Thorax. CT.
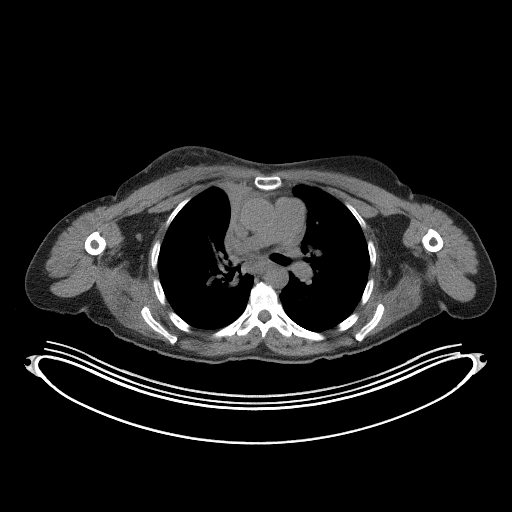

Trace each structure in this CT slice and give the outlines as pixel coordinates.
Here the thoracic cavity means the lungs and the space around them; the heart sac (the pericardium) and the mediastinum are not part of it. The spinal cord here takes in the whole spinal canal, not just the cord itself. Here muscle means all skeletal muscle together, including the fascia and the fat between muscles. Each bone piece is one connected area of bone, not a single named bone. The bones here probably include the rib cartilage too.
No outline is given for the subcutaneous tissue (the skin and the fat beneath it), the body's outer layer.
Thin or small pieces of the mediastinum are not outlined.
The muscle is outlined by 201 164; 237 165; 264 174; 290 169; 339 172; 409 202; 430 204; 472 242; 478 260; 476 294; 460 302; 436 282; 423 285; 421 303; 375 334; 366 336; 385 311; 379 302; 353 335; 355 344; 301 356; 276 354; 263 343; 248 351; 202 355; 174 345; 178 337; 145 304; 140 315; 169 344; 120 323; 94 285; 73 297; 56 296; 49 291; 45 263; 58 236; 77 217; 115 204; 160 177, around holes outlined by 257 176; 317 186; 349 203; 365 221; 364 238; 376 251; 367 274; 374 284; 367 301; 355 306; 358 318; 347 329; 338 331; 336 325; 325 329; 320 332; 325 339; 318 341; 287 337; 274 327; 262 337; 256 326; 245 335; 214 338; 212 329; 179 329; 168 316; 173 309; 168 301; 163 305; 156 296; 153 279; 159 273; 151 266; 151 249; 156 240; 163 241; 174 208; 211 186; 252 184 and by 143 215; 159 216; 159 220; 153 232; 151 234; 148 243; 147 257; 146 258; 146 266; 144 272; 140 267; 134 263; 131 258; 130 252; 127 247; 127 242; 128 240; 126 234; 122 229; 122 226; 121 225; 123 222; 127 222; 134 220 and by 373 220; 401 220; 406 223; 406 227; 401 235; 401 242; 404 246; 405 256; 400 257; 395 262; 393 265; 393 267; 390 269; 388 268; 385 260; 385 255; 384 254; 384 251; 380 238; 380 234; 378 231; 378 230; 380 229; 372 222 and by 94 231; 98 231; 99 232; 100 235; 105 239; 105 248; 102 252; 101 252; 96 255; 92 255; 91 254; 88 253; 85 250; 85 248; 84 247; 84 243; 85 242; 85 240; 86 239; 87 236; 88 236; 92 232; 93 232 and by 429 228; 432 228; 436 231; 437 231; 438 232; 438 233; 441 236; 441 237; 443 240; 443 245; 442 246; 442 247; 439 250; 438 250; 435 252; 431 252; 430 251; 428 251; 424 247; 424 246; 422 243; 422 237; 427 232; 427 231. The mediastinum is outlined by 250 183; 265 191; 296 184; 291 189; 293 195; 269 191; 245 199; 239 206; 231 231; 232 235; 244 249; 264 254; 295 243; 299 239; 304 232; 305 221; 305 232; 300 242; 301 264; 288 274; 288 281; 278 295; 270 284; 254 284; 251 274; 242 273; 231 247; 230 228; 234 207. The spinal cord is outlined by 263 310; 266 310; 269 313; 269 314; 270 315; 270 317; 269 318; 269 319; 268 319; 267 320; 266 320; 265 321; 263 321; 262 320; 261 320; 260 319; 259 319; 259 318; 258 317; 258 315; 259 314; 259 313; 261 311; 262 311. The right arm is outlined by 117 189; 118 215; 115 235; 110 248; 109 272; 102 294; 98 301; 87 312; 74 315; 61 314; 52 311; 42 310; 34 306; 29 301; 25 293; 24 276; 26 269; 35 251; 46 234; 61 218; 78 206; 101 196; 108 194; 114 194. The left arm is outlined by 412 191; 431 196; 451 206; 461 213; 472 224; 478 233; 490 257; 496 275; 496 292; 494 300; 490 308; 482 315; 471 319; 454 318; 451 317; 445 311; 441 312; 441 310; 433 300; 428 286; 418 268; 414 252; 410 242; 408 213. The torso is outlined by 188 144; 207 146; 264 163; 364 154; 387 164; 411 190; 407 213; 409 242; 417 268; 441 313; 369 349; 303 364; 257 359; 219 364; 184 360; 118 338; 106 327; 94 323; 85 314; 99 301; 109 277; 119 215; 118 187; 163 152. The bones appear in 14 outlined pieces: piece 1: 258 282; 263 282; 272 287; 284 311; 294 322; 310 331; 322 333; 325 339; 317 341; 294 334; 287 337; 274 327; 269 328; 265 336; 262 337; 260 329; 256 326; 245 335; 212 337; 213 332; 232 323; 241 315; 249 300; 252 287, around a hole outlined by 263 310; 266 310; 269 313; 269 314; 270 315; 270 317; 269 318; 269 319; 268 319; 267 320; 266 320; 265 321; 263 321; 262 320; 261 320; 260 319; 259 319; 259 318; 258 317; 258 315; 259 314; 259 313; 261 311; 262 311; piece 2: 145 305; 148 307; 151 313; 151 315; 153 317; 153 318; 156 321; 157 321; 169 333; 173 335; 175 335; 177 337; 177 340; 174 344; 171 344; 165 337; 164 337; 161 334; 153 330; 144 320; 143 317; 141 315; 140 311; 142 307; piece 3: 94 231; 98 231; 99 232; 100 235; 105 239; 105 248; 102 252; 101 252; 96 255; 92 255; 91 254; 88 253; 85 250; 85 248; 84 247; 84 243; 85 242; 85 240; 86 239; 87 236; 88 236; 92 232; 93 232; piece 4: 379 303; 381 303; 384 306; 384 311; 381 316; 381 318; 380 319; 380 320; 378 322; 378 323; 365 336; 365 337; 361 341; 358 341; 354 337; 354 335; 366 323; 367 323; 372 318; 372 317; 374 314; 374 312; 377 307; 377 305; piece 5: 429 228; 432 228; 436 231; 437 231; 438 232; 438 233; 441 236; 441 237; 443 240; 443 245; 442 246; 442 247; 439 250; 438 250; 435 252; 431 252; 430 251; 428 251; 424 247; 424 246; 422 243; 422 237; 427 232; 427 231; piece 6: 257 176; 278 176; 281 179; 281 180; 282 181; 282 183; 283 184; 281 186; 280 186; 277 188; 275 188; 274 189; 270 189; 269 190; 265 190; 264 189; 261 189; 260 188; 258 188; 257 187; 256 187; 253 183; 255 177; 256 177; piece 7: 171 310; 172 310; 176 314; 177 314; 184 321; 185 321; 188 324; 189 324; 191 326; 191 331; 190 332; 185 332; 184 331; 183 331; 182 330; 181 330; 180 329; 179 329; 171 321; 171 320; 169 318; 169 317; 168 316; 168 312; piece 8: 353 312; 357 312; 358 313; 358 318; 357 319; 357 320; 350 327; 349 327; 347 329; 346 329; 345 330; 344 330; 343 331; 338 331; 338 330; 337 329; 337 325; 340 322; 341 322; 344 319; 345 319; 348 316; 349 316; piece 9: 156 240; 159 240; 161 242; 161 243; 160 244; 160 248; 159 249; 159 253; 158 254; 158 257; 157 258; 157 267; 156 268; 156 269; 155 270; 154 270; 152 268; 152 267; 151 266; 151 249; 152 248; 152 246; 153 245; 154 242; piece 10: 155 277; 159 279; 160 284; 162 287; 163 292; 166 298; 166 303; 164 305; 163 305; 159 301; 158 298; 156 296; 156 294; 155 293; 155 291; 153 287; 153 279; piece 11: 187 197; 190 197; 191 198; 189 200; 189 201; 188 201; 181 208; 181 209; 173 218; 173 219; 169 224; 168 227; 167 228; 166 228; 165 227; 165 223; 166 222; 166 220; 169 216; 170 213; 174 209; 174 208; 182 200; 183 200; piece 12: 369 278; 373 278; 373 279; 374 280; 374 284; 373 285; 373 288; 372 289; 372 291; 371 292; 371 293; 370 294; 367 301; 364 304; 363 304; 362 305; 360 303; 360 300; 361 299; 361 297; 362 296; 363 291; 365 288; 366 283; piece 13: 346 202; 349 203; 357 211; 357 212; 363 218; 363 219; 365 221; 365 223; 366 224; 366 227; 364 229; 362 229; 362 228; 360 226; 360 225; 359 224; 358 221; 356 219; 356 218; 353 215; 353 214; 349 210; 349 209; 344 204; piece 14: 368 240; 371 240; 373 242; 373 244; 374 245; 374 247; 375 248; 375 250; 376 251; 376 255; 375 256; 375 264; 374 265; 374 266; 371 266; 370 265; 370 260; 369 259; 369 253; 368 252; 368 248; 367 247; 367 241. The pericardium is outlined by 269 192; 280 192; 289 194; 303 202; 305 205; 305 209; 306 210; 303 232; 295 242; 284 247; 276 248; 264 253; 263 252; 249 251; 244 248; 233 235; 232 231; 237 217; 237 214; 239 211; 240 206; 245 200; 256 195; 264 194. The thoracic cavity appears in 2 outlined pieces: piece 1: 228 182; 249 183; 247 189; 234 204; 229 228; 229 243; 236 262; 240 265; 241 273; 251 275; 253 284; 243 311; 232 322; 216 330; 193 327; 173 310; 167 300; 158 272; 158 258; 161 244; 174 218; 192 198; 211 186; 222 186; piece 2: 300 183; 319 187; 348 209; 362 230; 368 253; 367 280; 359 301; 349 315; 335 326; 322 331; 310 330; 298 324; 287 314; 279 299; 280 293; 289 281; 289 274; 300 268; 304 256; 301 242; 306 232; 308 208; 292 192; 293 187.